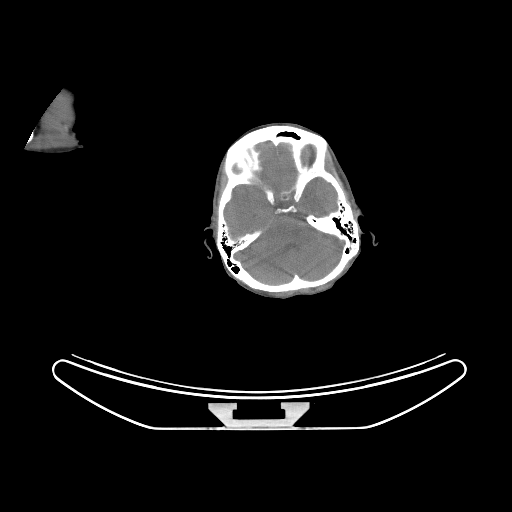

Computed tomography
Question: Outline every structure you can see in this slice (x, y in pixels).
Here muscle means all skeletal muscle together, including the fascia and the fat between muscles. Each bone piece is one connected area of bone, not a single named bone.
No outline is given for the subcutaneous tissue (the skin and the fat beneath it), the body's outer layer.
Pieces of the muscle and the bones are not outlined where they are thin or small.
Answer: {"bones":[{"outer":[[270,125],[298,127],[316,133],[327,141],[329,150],[326,156],[325,167],[340,183],[359,226],[359,248],[357,253],[347,262],[339,275],[318,286],[282,292],[269,292],[252,288],[230,273],[216,245],[218,201],[227,181],[223,164],[226,150],[243,135]],"holes":[[[266,142],[284,144],[295,169],[293,183],[277,195],[292,202],[276,214],[296,213],[316,178],[335,191],[334,210],[304,216],[343,241],[337,262],[320,277],[295,273],[269,283],[236,258],[262,230],[232,233],[225,208],[234,188],[261,182],[256,146]],[[333,218],[335,218],[336,219],[339,219],[339,220],[338,221],[340,224],[340,225],[339,226],[342,229],[343,229],[344,230],[345,230],[345,232],[350,236],[350,239],[349,239],[349,238],[344,233],[343,233],[336,226],[336,222],[333,220]],[[280,133],[294,133],[295,134],[296,134],[299,137],[299,138],[295,138],[293,136],[288,136],[287,135],[280,135],[279,136],[277,136]],[[223,245],[225,245],[227,247],[231,247],[230,248],[230,253],[229,254],[229,257],[227,255],[227,253],[226,252],[226,251],[224,249],[224,248],[223,247]]]},[[265,187],[266,187],[267,188],[269,188],[270,189],[271,189],[274,192],[274,193],[275,194],[275,202],[274,203],[274,204],[273,205],[272,205],[268,201],[268,200],[267,199],[267,198],[266,197],[266,195],[265,194],[265,193],[264,192],[264,188]]],"muscle":[[[58,93],[59,94],[65,94],[67,95],[69,98],[69,109],[71,115],[69,132],[73,136],[76,142],[76,144],[71,147],[61,147],[60,148],[34,148],[31,147],[29,144],[32,141],[35,135],[34,128],[38,123],[38,121],[44,113],[45,110]],[[329,151],[330,152],[333,163],[336,169],[338,171],[341,178],[343,180],[346,187],[349,191],[351,200],[356,210],[355,215],[354,215],[352,207],[347,199],[345,191],[341,183],[339,180],[327,169],[326,167],[326,161],[327,160],[327,156],[329,153]],[[223,165],[223,171],[226,177],[226,181],[225,182],[224,187],[222,189],[217,201],[217,212],[216,213],[217,215],[217,218],[216,219],[216,234],[216,232],[214,228],[215,206],[216,205],[216,200],[217,199],[219,180],[220,179],[221,170]]],"right_arm":[[[64,87],[69,87],[77,93],[75,104],[77,110],[77,119],[75,122],[74,129],[77,133],[77,136],[84,146],[83,148],[76,149],[67,153],[53,153],[52,154],[38,153],[24,150],[24,147],[27,143],[28,138],[38,123],[41,116],[57,94]]],"head":[{"outer":[[274,121],[296,122],[323,136],[364,213],[359,226],[370,229],[378,242],[373,246],[370,235],[364,234],[361,253],[345,276],[331,289],[315,295],[270,299],[250,293],[226,275],[214,241],[208,240],[211,259],[203,243],[224,152],[249,128]],"holes":[[[333,218],[335,218],[336,219],[339,219],[339,220],[338,221],[340,224],[340,225],[339,226],[342,229],[343,229],[344,230],[345,230],[345,232],[350,236],[350,239],[349,239],[349,238],[344,233],[343,233],[336,226],[336,222],[333,220]],[[280,133],[294,133],[295,134],[296,134],[299,137],[299,138],[295,138],[293,136],[288,136],[287,135],[280,135],[279,136],[277,136]],[[223,245],[225,245],[227,247],[231,247],[230,248],[230,253],[229,254],[229,257],[227,255],[227,253],[226,252],[226,251],[224,249],[224,248],[223,247]]]}],"brain":[{"outer":[[266,142],[284,144],[295,169],[293,183],[277,195],[292,202],[276,214],[296,213],[316,178],[335,191],[334,210],[304,216],[343,241],[337,262],[320,277],[295,273],[269,283],[236,258],[262,230],[232,233],[225,208],[234,188],[261,182],[256,146]],"hole":[[265,187],[266,187],[267,188],[269,188],[270,189],[271,189],[274,192],[274,193],[275,194],[275,202],[274,203],[274,204],[273,205],[272,205],[268,201],[268,200],[267,199],[267,198],[266,197],[266,195],[265,194],[265,193],[264,192],[264,188]]}]}